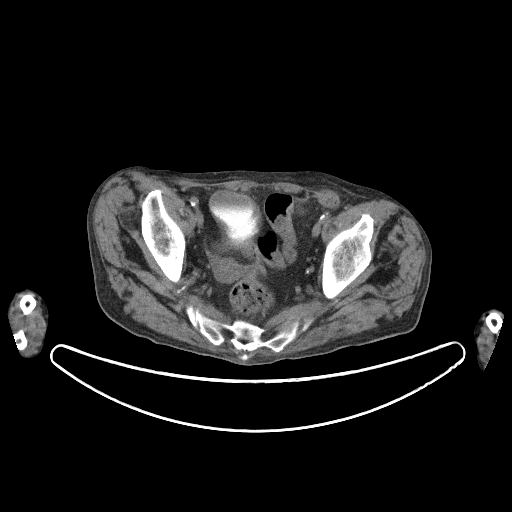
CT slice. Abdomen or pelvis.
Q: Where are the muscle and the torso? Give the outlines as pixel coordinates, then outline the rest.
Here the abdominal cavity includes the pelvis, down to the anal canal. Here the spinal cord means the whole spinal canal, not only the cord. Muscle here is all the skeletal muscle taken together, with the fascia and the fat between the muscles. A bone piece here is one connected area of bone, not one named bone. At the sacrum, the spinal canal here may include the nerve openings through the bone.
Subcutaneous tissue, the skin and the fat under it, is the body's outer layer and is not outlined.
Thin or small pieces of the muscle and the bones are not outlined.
A: Outlines:
muscle 1: (132, 169) (164, 177) (343, 188) (391, 201) (411, 216) (425, 248) (414, 300) (396, 322) (292, 353) (248, 359) (248, 352) (261, 347) (280, 352) (299, 329) (308, 329) (311, 320) (300, 327) (295, 321) (271, 335) (264, 326) (283, 308) (314, 296) (320, 265) (321, 291) (327, 299) (337, 296) (368, 267) (374, 255) (374, 218) (363, 212) (325, 246) (322, 227) (358, 202) (350, 195) (300, 199) (267, 187) (189, 188) (176, 191) (193, 218) (186, 241) (165, 207) (162, 190) (154, 188) (139, 204) (140, 234) (148, 251) (175, 284) (183, 273) (185, 252) (191, 291) (231, 320) (213, 319) (187, 304) (189, 322) (213, 345) (228, 338) (242, 351) (240, 360) (231, 353) (157, 332) (124, 311) (94, 234) (94, 208) (104, 186)
muscle 2: (22, 293) (26, 293) (21, 296) (18, 302) (22, 313) (25, 316) (29, 315) (35, 308) (37, 300) (40, 303) (44, 319) (44, 329) (40, 344) (36, 351) (29, 356) (22, 356) (19, 353) (28, 345) (24, 330) (20, 328) (13, 332) (10, 327) (11, 309) (17, 296)
muscle 3: (484, 318) (484, 322) (487, 326) (488, 329) (492, 333) (496, 333) (498, 334) (497, 339) (492, 348) (492, 352) (491, 353) (491, 355) (489, 357) (488, 363) (486, 365) (484, 364) (484, 362) (481, 359) (481, 351) (478, 343) (478, 337) (481, 331) (481, 327) (484, 323)
torso: (135, 165) (182, 172) (313, 169) (388, 194) (413, 214) (426, 232) (432, 248) (429, 286) (417, 325) (405, 334) (372, 343) (344, 347) (322, 355) (261, 365) (238, 365) (157, 344) (130, 333) (112, 321) (98, 304) (88, 248) (86, 214) (90, 199) (99, 184) (115, 171)
left arm: (490, 308) (496, 308) (501, 310) (503, 312) (504, 317) (501, 319) (501, 323) (498, 330) (497, 339) (492, 348) (492, 352) (489, 357) (488, 363) (485, 366) (484, 369) (481, 370) (478, 366) (476, 359) (476, 344) (473, 335) (473, 330) (475, 324) (481, 313) (483, 311)
bones 1: (363, 213) (368, 213) (374, 220) (374, 229) (370, 241) (370, 248) (373, 253) (372, 258) (367, 267) (355, 279) (333, 298) (327, 298) (322, 291) (322, 284) (321, 283) (323, 273) (322, 261) (324, 256) (325, 247) (327, 243) (337, 233) (342, 230) (351, 227) (360, 218)
bones 2: (154, 189) (160, 189) (161, 190) (162, 201) (166, 211) (180, 227) (185, 237) (185, 251) (184, 252) (184, 259) (182, 264) (182, 273) (179, 281) (176, 283) (171, 281) (164, 274) (154, 259) (153, 256) (149, 251) (141, 234) (141, 206) (140, 204) (145, 196) (150, 191)
bones 3: (187, 305) (222, 323) (240, 319) (255, 324) (264, 328) (267, 336) (289, 329) (295, 322) (300, 328) (306, 321) (311, 323) (304, 331) (299, 328) (296, 337) (280, 351) (261, 346) (248, 351) (248, 358) (242, 360) (243, 351) (228, 337) (215, 345) (195, 328) (186, 313)
bones 4: (27, 293) (31, 293) (33, 295) (33, 296) (36, 300) (36, 303) (32, 311) (29, 314) (27, 315) (25, 315) (23, 313) (22, 310) (20, 308) (20, 306) (19, 305) (19, 302) (22, 296) (24, 294) (26, 294)
bones 5: (492, 311) (495, 311) (496, 312) (496, 313) (501, 319) (501, 323) (500, 324) (500, 327) (498, 330) (498, 333) (497, 333) (496, 332) (492, 332) (489, 329) (488, 326) (486, 324) (486, 323) (485, 322) (485, 318) (486, 317) (486, 316) (490, 312) (491, 312)
bones 6: (20, 329) (22, 329) (23, 330) (24, 332) (24, 334) (27, 340) (27, 345) (26, 347) (22, 350) (19, 350) (18, 349) (16, 345) (16, 341) (14, 338) (14, 333) (15, 333) (18, 330)
abdominal cavity: (262, 188) (288, 193) (300, 200) (341, 194) (357, 202) (347, 205) (321, 227) (320, 240) (324, 250) (313, 296) (283, 307) (265, 322) (264, 327) (240, 318) (231, 321) (230, 317) (190, 288) (191, 280) (186, 273) (186, 242) (192, 235) (194, 218) (177, 192)
right arm: (25, 288) (29, 288) (37, 292) (43, 298) (47, 306) (48, 314) (49, 315) (43, 347) (38, 355) (31, 358) (25, 358) (20, 355) (19, 350) (16, 345) (16, 341) (14, 338) (14, 333) (10, 327) (10, 323) (7, 314) (8, 305) (15, 292) (16, 291) (22, 290)
spinal cord: (240, 338) (241, 338) (242, 339) (249, 339) (250, 340) (251, 340) (250, 341) (248, 341) (247, 342) (242, 342) (240, 340) (239, 340) (239, 339)